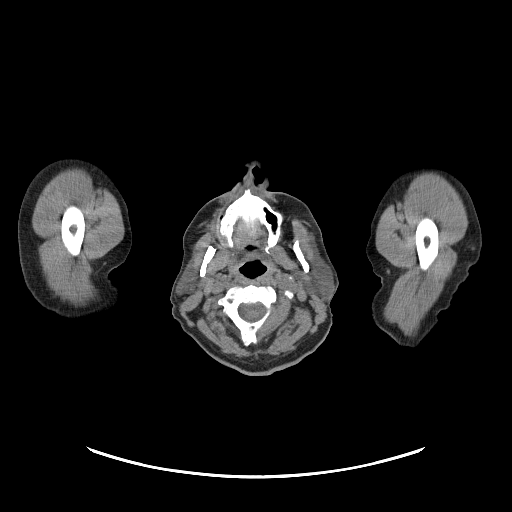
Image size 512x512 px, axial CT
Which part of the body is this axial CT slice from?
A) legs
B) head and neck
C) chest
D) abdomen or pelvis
B) head and neck
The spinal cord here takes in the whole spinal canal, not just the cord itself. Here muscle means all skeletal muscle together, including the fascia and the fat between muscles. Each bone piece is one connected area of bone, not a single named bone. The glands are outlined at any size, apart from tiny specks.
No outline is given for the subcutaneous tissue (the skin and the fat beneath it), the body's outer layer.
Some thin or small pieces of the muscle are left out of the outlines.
{"muscle":[{"outer":[[248,185],[273,196],[281,203],[297,209],[303,217],[311,224],[314,231],[317,247],[321,256],[313,262],[311,274],[314,283],[323,297],[325,298],[324,302],[326,306],[327,316],[319,330],[296,350],[285,356],[270,361],[242,360],[220,352],[217,347],[207,340],[198,331],[186,323],[179,310],[178,297],[191,291],[196,285],[196,272],[191,267],[186,266],[191,257],[191,242],[194,230],[212,212],[219,201],[227,198]],"holes":[[[246,188],[249,188],[252,193],[265,200],[283,216],[280,237],[276,244],[268,250],[268,253],[264,249],[266,239],[260,233],[252,235],[238,232],[233,238],[232,247],[229,247],[221,242],[219,233],[220,219],[224,214],[226,208],[240,196]],[[249,284],[253,284],[257,286],[270,285],[276,290],[277,296],[276,301],[272,305],[270,314],[256,332],[257,342],[245,345],[241,339],[241,334],[239,329],[231,319],[224,313],[223,307],[219,305],[217,301],[225,294],[229,288],[233,286],[243,287]],[[254,260],[258,260],[260,262],[261,262],[261,263],[265,266],[265,271],[264,271],[263,273],[259,275],[257,275],[254,277],[248,277],[246,275],[244,275],[244,274],[240,271],[240,267],[243,266],[246,262],[249,262],[250,261],[253,261]],[[209,245],[212,245],[215,248],[215,252],[212,258],[209,261],[209,262],[206,266],[206,269],[205,270],[205,274],[204,276],[203,277],[201,277],[199,274],[199,270],[200,269],[200,266],[202,263],[202,260],[203,259],[204,254],[206,251],[207,247]],[[296,239],[297,239],[298,240],[298,241],[299,242],[299,247],[304,256],[304,258],[306,260],[306,261],[309,265],[309,270],[308,271],[308,272],[305,272],[304,271],[300,262],[296,257],[296,256],[292,249],[292,247],[293,246],[294,241]],[[286,289],[287,289],[288,290],[289,290],[290,291],[291,291],[293,293],[293,297],[291,299],[289,299],[288,298],[287,298],[283,294],[283,291],[284,290],[285,290]]]},{"outer":[[427,171],[444,176],[455,187],[466,208],[468,228],[458,253],[457,264],[447,284],[437,301],[421,321],[417,334],[413,337],[407,337],[382,317],[382,309],[393,282],[393,271],[389,263],[376,249],[375,233],[380,215],[389,202],[408,185],[416,174]],"hole":[[424,217],[429,217],[431,219],[432,219],[436,224],[436,226],[438,230],[438,249],[437,250],[437,255],[432,263],[426,270],[422,270],[419,266],[418,256],[417,255],[417,250],[416,249],[416,245],[415,244],[415,232],[416,231],[417,224],[419,220]]},{"outer":[[69,166],[84,167],[93,173],[106,186],[119,203],[124,224],[123,239],[98,263],[92,277],[93,282],[100,291],[101,297],[97,301],[83,307],[72,307],[65,305],[52,296],[45,284],[40,270],[37,246],[31,226],[33,207],[43,186],[54,174]],"hole":[[70,205],[74,205],[78,207],[82,211],[83,216],[84,217],[84,223],[85,224],[84,234],[83,235],[83,240],[81,244],[80,252],[79,254],[76,256],[73,256],[68,252],[62,241],[62,238],[61,237],[61,220],[62,219],[62,216],[65,209]]}],"right_arm":[[[64,157],[85,158],[105,170],[127,205],[132,232],[132,243],[126,259],[108,274],[111,281],[119,289],[117,303],[107,311],[75,320],[68,320],[58,316],[54,312],[42,307],[34,299],[23,280],[17,243],[18,214],[29,183],[38,171],[48,163]]],"bones":[{"outer":[[246,188],[249,188],[252,193],[265,200],[283,216],[280,237],[276,244],[268,250],[268,253],[264,249],[266,239],[260,233],[252,235],[238,232],[233,238],[232,247],[229,247],[221,242],[219,233],[220,219],[224,214],[226,208],[240,196]],"hole":[[267,212],[269,212],[272,215],[273,215],[275,217],[275,227],[274,228],[273,227],[273,225],[267,219]]},{"outer":[[249,284],[253,284],[257,286],[270,285],[276,290],[277,296],[276,301],[272,305],[270,314],[256,332],[257,342],[245,345],[241,339],[241,334],[239,329],[231,319],[224,313],[223,307],[219,305],[217,301],[225,294],[229,288],[233,286],[243,287]],"hole":[[257,302],[259,302],[261,303],[265,308],[265,311],[263,315],[260,318],[254,321],[247,321],[243,318],[242,318],[240,316],[238,312],[238,307],[240,304],[242,303],[244,303],[245,304],[253,304]]},[[424,217],[429,217],[431,219],[432,219],[436,224],[436,226],[438,230],[438,249],[437,250],[437,255],[432,263],[426,270],[422,270],[419,266],[418,256],[417,255],[417,250],[416,249],[416,245],[415,244],[415,232],[416,231],[417,224],[419,220]],[[70,205],[74,205],[78,207],[82,211],[83,216],[84,217],[84,223],[85,224],[84,234],[83,235],[83,240],[81,244],[80,252],[79,254],[76,256],[73,256],[68,252],[62,241],[62,238],[61,237],[61,220],[62,219],[62,216],[65,209]],[[209,245],[212,245],[215,248],[215,252],[212,258],[209,261],[209,262],[206,266],[206,269],[205,270],[205,274],[204,276],[203,277],[201,277],[199,274],[199,270],[200,269],[200,266],[202,263],[202,260],[203,259],[204,254],[206,251],[207,247]],[[296,239],[297,239],[298,240],[298,241],[299,242],[299,247],[304,256],[304,258],[306,260],[306,261],[309,265],[309,270],[308,271],[308,272],[305,272],[304,271],[300,262],[296,257],[296,256],[292,249],[292,247],[293,246],[294,241]],[[286,289],[287,289],[288,290],[289,290],[290,291],[291,291],[293,293],[293,297],[291,299],[289,299],[288,298],[287,298],[283,294],[283,291],[284,290],[285,290]]],"spinal_cord":[[[257,302],[259,302],[261,303],[265,308],[265,311],[263,315],[260,318],[254,321],[247,321],[243,318],[242,318],[240,316],[238,312],[238,307],[240,304],[242,303],[244,303],[245,304],[253,304]]],"left_arm":[[[420,166],[442,168],[465,186],[480,223],[482,247],[478,262],[470,268],[468,277],[459,286],[450,306],[439,312],[438,323],[418,347],[406,347],[397,344],[372,319],[370,303],[381,281],[372,270],[366,255],[366,244],[375,210],[392,181],[400,174]]],"head_and_neck":[{"outer":[[253,159],[261,164],[251,169],[257,183],[266,176],[270,191],[290,194],[308,206],[339,281],[330,301],[332,325],[324,341],[298,363],[261,376],[243,374],[207,354],[173,318],[169,299],[182,262],[187,226],[207,201],[242,179],[247,172],[245,163]],"holes":[[[254,260],[258,260],[263,265],[264,265],[265,266],[265,271],[264,271],[263,272],[263,273],[262,273],[259,275],[257,275],[254,277],[248,277],[246,275],[244,275],[244,274],[240,271],[240,267],[243,266],[246,262],[249,262],[250,261],[253,261]],[[267,212],[269,212],[272,215],[273,215],[275,217],[275,227],[274,228],[273,227],[273,225],[267,219]]]}],"parotid_glands":[[[319,258],[321,258],[325,262],[326,262],[327,265],[329,266],[333,274],[333,283],[334,284],[334,287],[331,293],[329,295],[328,295],[327,297],[324,297],[323,294],[320,291],[318,286],[314,281],[313,275],[312,274],[313,264],[314,262],[318,260]],[[186,267],[189,267],[191,268],[193,270],[193,271],[195,272],[195,275],[196,276],[196,279],[195,280],[195,285],[194,287],[191,290],[189,291],[187,291],[185,293],[183,293],[180,296],[176,296],[176,287],[177,286],[177,284],[182,274],[186,269]]]}